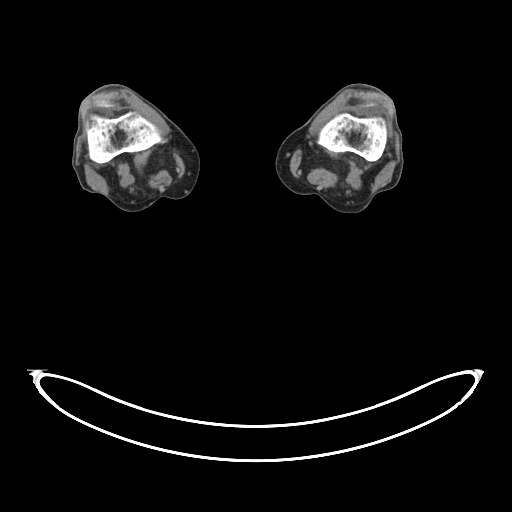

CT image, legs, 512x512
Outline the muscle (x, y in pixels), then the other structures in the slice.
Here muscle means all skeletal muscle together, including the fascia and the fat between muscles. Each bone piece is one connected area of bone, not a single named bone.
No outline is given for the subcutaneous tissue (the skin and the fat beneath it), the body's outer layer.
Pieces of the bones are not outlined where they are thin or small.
The muscle appears in 2 outlined pieces: piece 1: 350,88 375,91 382,94 389,100 393,110 392,122 394,122 400,140 400,155 391,181 376,190 363,203 360,204 338,203 319,193 310,186 293,179 286,167 287,150 290,144 308,130 316,116 327,105 341,92 with a hole at 342,112 347,112 357,117 382,116 384,118 386,123 386,128 387,129 387,141 386,142 385,148 382,155 377,160 375,161 368,161 358,154 350,151 345,151 344,152 334,152 316,143 317,135 320,128 335,115; piece 2: 113,89 129,90 156,111 176,135 184,150 188,162 189,173 184,179 168,192 139,204 132,204 118,199 112,195 93,191 86,183 85,178 76,161 78,137 81,134 83,127 81,117 83,104 94,94 104,90, around holes outlined by 128,111 135,111 155,124 161,130 162,136 165,141 163,143 155,144 144,150 134,152 123,152 104,163 98,163 91,160 89,158 87,151 86,133 86,125 89,120 89,115 92,113 96,113 109,118 114,118 and by 102,100 103,100 104,101 106,101 107,102 108,102 109,103 111,103 112,104 112,105 111,106 109,106 108,107 105,107 104,106 98,106 97,105 96,105 96,104 95,103 96,102 97,102 98,101 101,101. The right leg is outlined by 107,83 124,84 141,94 155,104 193,142 200,157 200,171 194,188 186,197 181,199 169,199 162,197 143,210 128,212 115,206 103,195 90,193 82,189 71,165 72,142 77,128 78,108 81,100 88,93. The left leg is outlined by 357,82 374,85 392,98 397,113 398,125 403,137 404,161 401,177 395,187 375,195 369,205 360,212 341,213 331,208 318,195 302,195 290,191 278,178 274,163 277,150 289,133 302,125 338,89 344,85. The bones appear in 2 outlined pieces: piece 1: 128,111 135,111 155,124 161,130 162,136 165,141 163,143 155,144 144,150 134,152 123,152 104,163 98,163 91,160 89,158 87,151 86,133 86,125 89,120 89,115 92,113 96,113 109,118 114,118; piece 2: 342,112 347,112 357,117 382,116 384,118 386,123 386,128 387,129 387,141 386,142 385,148 382,155 377,160 375,161 368,161 358,154 350,151 345,151 344,152 334,152 316,143 317,135 320,128 335,115.